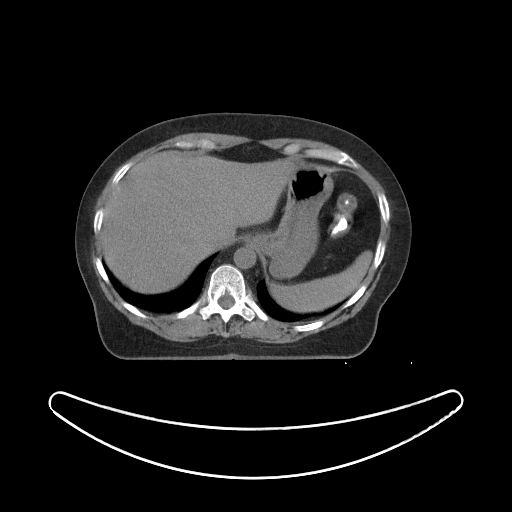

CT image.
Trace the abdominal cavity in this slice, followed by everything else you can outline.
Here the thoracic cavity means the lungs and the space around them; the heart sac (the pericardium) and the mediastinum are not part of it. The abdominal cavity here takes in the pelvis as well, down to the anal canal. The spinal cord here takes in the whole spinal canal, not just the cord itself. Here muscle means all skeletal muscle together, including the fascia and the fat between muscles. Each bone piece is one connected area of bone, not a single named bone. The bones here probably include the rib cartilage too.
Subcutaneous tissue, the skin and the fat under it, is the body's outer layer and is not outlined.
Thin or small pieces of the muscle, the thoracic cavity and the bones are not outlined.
Outlines (x, y in pixels):
abdominal cavity: 246 143; 334 162; 350 168; 367 185; 377 200; 381 220; 363 283; 343 303; 321 313; 293 313; 270 297; 260 256; 245 241; 204 259; 183 284; 169 292; 146 295; 116 279; 102 260; 100 230; 108 198; 128 170; 160 150; 221 150
mediastinum: 238 242; 245 242; 246 244; 249 244; 255 249; 259 256; 259 261; 261 264; 261 279; 256 284; 255 289; 249 289; 243 273; 237 267; 230 263; 219 264; 207 276; 208 270; 214 258; 220 252; 223 252; 224 250
bones 1: 222 264; 230 264; 242 273; 247 289; 269 316; 268 320; 265 321; 255 316; 249 321; 234 314; 227 322; 224 322; 218 313; 213 313; 207 319; 203 319; 197 310; 183 318; 174 317; 176 312; 189 307; 197 300; 206 288; 212 271; inner edge: 227 294; 228 295; 229 295; 230 296; 231 296; 233 298; 233 299; 234 300; 234 303; 230 307; 229 307; 228 308; 223 308; 219 304; 219 303; 218 302; 218 300; 220 297; 221 297; 224 295; 226 295
bones 2: 311 148; 321 148; 322 149; 331 149; 332 150; 343 151; 353 158; 358 166; 356 168; 353 168; 352 167; 339 164; 328 159; 323 159; 322 158; 317 158; 316 157; 306 157; 304 155; 304 152; 303 151; 305 149; 310 149
bones 3: 200 138; 206 138; 213 141; 215 143; 215 148; 214 149; 206 149; 205 148; 201 148; 200 147; 193 147; 192 148; 180 148; 179 147; 175 147; 174 146; 174 144; 177 141; 181 141; 182 140; 184 141; 191 141; 192 140; 195 140
bones 4: 378 191; 381 191; 385 194; 385 195; 386 196; 386 199; 388 202; 388 206; 389 207; 389 220; 387 223; 385 223; 384 222; 383 222; 381 219; 381 216; 380 215; 380 211; 379 210; 379 207; 378 206; 378 198; 377 197; 377 192
bones 5: 379 239; 382 239; 385 242; 385 250; 384 251; 384 254; 383 255; 383 257; 382 258; 381 262; 379 264; 377 268; 373 269; 371 268; 372 267; 372 264; 373 263; 373 260; 374 259; 374 255; 375 254; 375 251; 376 250; 376 246
bones 6: 317 319; 324 319; 325 320; 324 323; 321 326; 320 326; 318 328; 316 328; 315 329; 312 329; 311 330; 308 330; 307 331; 296 331; 293 328; 293 327; 295 325; 304 325; 305 324; 308 324; 309 323; 310 323; 312 321; 314 321
bones 7: 362 284; 367 284; 367 287; 364 291; 364 292; 362 294; 362 295; 355 302; 354 302; 351 305; 350 305; 345 308; 343 308; 342 309; 341 309; 340 308; 341 305; 342 304; 343 304; 344 303; 344 302; 345 302; 360 287; 360 286
bones 8: 128 161; 131 161; 133 163; 132 164; 132 165; 127 170; 127 171; 123 175; 123 176; 119 180; 119 181; 115 185; 112 184; 112 179; 113 178; 114 175; 116 173; 116 172; 121 167; 121 166; 122 165; 123 165; 126 162; 127 162
bones 9: 100 208; 103 208; 103 217; 102 218; 102 221; 101 222; 101 227; 100 228; 100 229; 99 230; 99 232; 98 232; 96 234; 95 233; 94 233; 94 231; 93 230; 93 220; 94 219; 94 215; 95 214; 95 212; 98 209; 99 209
bones 10: 96 257; 99 257; 101 258; 101 260; 102 261; 102 263; 103 264; 104 269; 109 279; 110 284; 108 284; 106 283; 106 282; 100 275; 96 267; 96 265; 94 262; 94 259
bones 11: 122 300; 124 300; 126 302; 133 305; 135 307; 136 307; 138 309; 139 309; 143 313; 144 313; 146 315; 147 315; 148 316; 148 318; 142 318; 141 317; 134 314; 132 312; 129 311; 121 304; 121 301
bones 12: 294 143; 295 143; 296 144; 299 144; 300 145; 300 147; 301 148; 301 149; 299 151; 298 151; 297 152; 296 152; 295 153; 294 153; 293 154; 286 154; 285 153; 284 153; 283 152; 283 148; 286 145; 288 145; 289 144; 293 144
torso: 222 111; 286 114; 340 127; 373 147; 395 174; 404 192; 411 216; 409 257; 397 287; 379 312; 375 335; 362 353; 347 359; 125 360; 112 355; 104 347; 97 330; 92 302; 75 256; 75 223; 84 189; 106 156; 139 130; 174 117
muscle 1: 387 197; 393 214; 389 254; 371 295; 353 317; 294 342; 267 343; 253 338; 226 338; 214 334; 188 342; 161 337; 132 323; 106 298; 89 258; 93 215; 92 230; 96 235; 99 233; 101 248; 101 257; 93 259; 95 267; 105 283; 111 284; 122 298; 120 304; 134 315; 148 319; 142 310; 154 314; 174 313; 174 318; 183 319; 197 311; 203 320; 218 314; 224 323; 234 315; 249 322; 255 317; 266 322; 271 317; 288 324; 299 323; 292 328; 296 332; 307 332; 325 323; 326 320; 320 318; 338 308; 351 306; 367 289; 368 284; 364 281; 371 269; 378 268; 386 250; 386 242; 379 236; 381 221; 387 224; 390 220
muscle 2: 191 132; 232 134; 255 139; 269 139; 281 137; 304 138; 321 141; 342 150; 311 147; 305 148; 302 151; 304 156; 299 156; 294 154; 299 152; 302 148; 299 143; 295 142; 286 144; 282 148; 282 152; 256 142; 246 142; 221 149; 215 149; 216 143; 213 140; 206 137; 200 137; 191 140; 177 140; 173 144; 174 147; 160 149; 134 163; 131 160; 126 161; 139 151; 166 139; 180 134
muscle 3: 355 160; 356 160; 368 171; 369 171; 382 185; 385 191; 385 193; 381 190; 378 190; 376 192; 376 197; 377 199; 376 199; 374 196; 374 194; 368 185; 355 172; 354 172; 351 169; 351 168; 353 169; 356 169; 359 166
muscle 4: 120 165; 121 165; 120 167; 115 172; 111 179; 111 184; 114 186; 113 189; 111 190; 109 196; 107 198; 107 201; 105 203; 104 207; 100 207; 98 208; 94 212; 94 214; 94 210; 93 208; 96 199; 100 194; 102 189; 110 176
spinal cord: 227 294; 228 295; 229 295; 230 296; 231 296; 233 298; 233 299; 234 300; 234 303; 230 307; 229 307; 228 308; 223 308; 219 304; 219 303; 218 302; 218 300; 220 297; 221 297; 224 295; 226 295
thoracic cavity 1: 214 254; 216 255; 213 258; 206 273; 208 279; 205 288; 196 300; 189 306; 179 311; 170 313; 154 313; 151 311; 143 310; 123 299; 111 283; 103 263; 115 279; 124 287; 132 292; 150 296; 169 293; 179 288; 186 282; 204 260
thoracic cavity 2: 261 280; 263 280; 265 284; 265 289; 269 297; 280 308; 293 314; 321 314; 326 310; 338 304; 341 304; 333 311; 308 323; 288 323; 286 321; 282 321; 270 316; 263 310; 256 301; 251 290; 255 290; 257 284